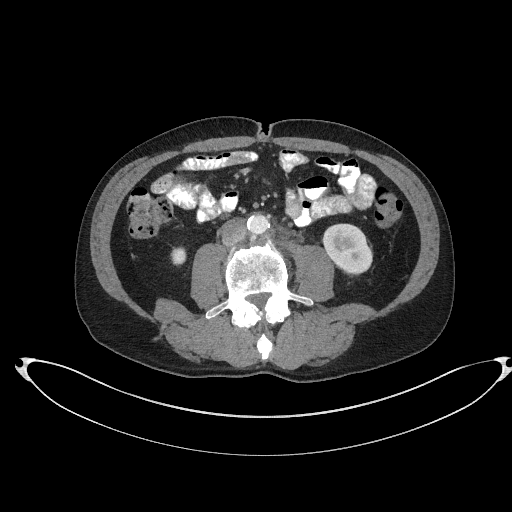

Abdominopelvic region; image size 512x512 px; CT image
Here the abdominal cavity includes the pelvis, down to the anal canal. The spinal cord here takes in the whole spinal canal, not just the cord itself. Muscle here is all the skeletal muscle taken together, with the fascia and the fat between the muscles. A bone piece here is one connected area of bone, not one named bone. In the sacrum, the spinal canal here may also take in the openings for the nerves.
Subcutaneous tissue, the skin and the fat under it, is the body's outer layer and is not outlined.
Outlines:
muscle: 288,370 294,370 300,367 320,367 331,360 337,358 353,344 363,325 366,324 369,321 385,317 403,305 405,305 418,295 426,286 434,272 438,261 440,229 439,228 438,217 431,197 421,180 408,167 388,155 373,152 356,146 351,146 348,144 341,144 337,142 326,141 323,139 311,138 310,137 299,137 298,136 279,136 267,139 259,139 252,136 246,136 245,135 212,137 203,140 190,142 184,145 175,146 172,148 166,148 162,150 159,150 157,152 151,153 149,155 145,155 139,157 120,168 110,178 104,187 95,205 92,214 91,225 90,226 89,248 90,249 91,261 95,270 96,277 103,290 110,297 118,301 126,308 130,309 138,316 147,319 152,322 160,331 160,335 163,342 169,348 185,359 196,363 209,362 210,361 220,361 231,366 236,366 237,367 243,367 247,365 257,363 259,361 264,361 265,362 271,362 279,368 with holes at 240,328 281,323 289,301 313,304 288,288 303,243 335,266 323,304 389,302 418,253 402,192 355,156 274,144 158,164 114,221 118,277 149,312 160,297 187,303 196,251 220,243 227,297 205,317 229,310 and at 262,360 266,360 268,358 269,354 272,350 272,346 273,345 272,344 272,342 267,338 266,335 264,333 262,333 261,334 260,337 257,340 257,342 256,343 256,347 257,348 257,350 260,354 261,356 261,359
bones 1: 240,328 253,327 263,318 272,325 281,323 291,314 289,301 307,306 313,304 311,299 293,293 288,288 285,260 282,254 268,243 251,243 234,248 224,270 227,297 205,313 205,317 209,319 229,310 231,323 with a hole at 259,308 262,308 263,305 265,303 265,302 266,301 266,299 268,297 268,296 269,295 268,294 266,294 265,293 264,294 260,294 259,295 254,295 253,296 250,296 249,297 248,297 248,299 251,302 254,303
bones 2: 262,360 266,360 268,358 269,354 272,350 272,346 273,345 272,344 272,342 267,338 266,335 264,333 262,333 261,334 260,337 257,340 257,342 256,343 256,347 257,348 257,350 260,354 261,356 261,359
abdominal cavity: 149,312 160,297 191,301 194,255 208,242 229,254 268,242 286,262 297,245 320,245 335,266 334,296 323,304 356,300 378,309 415,263 416,222 402,192 355,156 264,143 177,155 133,187 113,224 118,277
torso: 300,384 397,363 426,350 445,328 454,298 454,250 446,212 429,179 384,141 317,119 271,122 265,133 258,121 214,116 182,124 132,148 99,180 79,227 74,297 89,334 118,356 173,376 194,379 264,373
spinal cord: 259,308 262,308 263,305 265,303 265,302 266,301 266,299 268,297 268,296 269,295 268,294 266,294 265,293 264,294 260,294 259,295 254,295 253,296 250,296 249,297 248,297 248,299 251,302 254,303